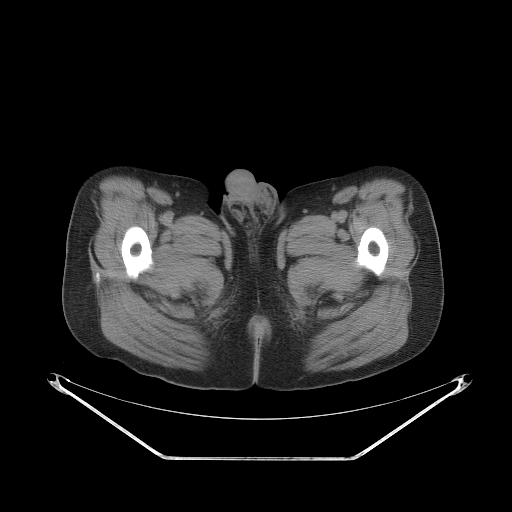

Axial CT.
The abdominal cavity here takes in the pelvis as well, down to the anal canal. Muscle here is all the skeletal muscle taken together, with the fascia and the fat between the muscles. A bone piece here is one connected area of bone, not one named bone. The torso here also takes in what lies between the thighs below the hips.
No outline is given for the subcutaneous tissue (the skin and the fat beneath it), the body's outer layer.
Outlined structures:
torso 1: [[235,168],[248,169],[252,172],[255,177],[255,179],[257,181],[263,181],[271,184],[276,189],[278,196],[281,198],[275,208],[257,253],[254,265],[253,261],[241,248],[241,246],[227,226],[219,209],[222,196],[224,193],[223,180],[225,176],[231,170]]
torso 2: [[256,309],[257,309],[266,318],[266,319],[268,321],[269,323],[269,326],[270,327],[270,332],[271,333],[271,336],[269,340],[263,348],[262,351],[258,355],[258,357],[257,359],[257,348],[246,326],[246,322],[254,314],[254,313],[256,311]]
abdominal cavity: [[259,321],[262,321],[263,322],[265,322],[265,329],[263,331],[263,333],[262,333],[258,337],[255,337],[253,335],[253,331],[254,330],[254,328],[255,327],[255,325]]
bones 1: [[135,225],[141,227],[147,234],[148,239],[150,242],[151,250],[152,251],[151,256],[152,257],[153,263],[149,269],[140,273],[136,279],[132,279],[127,276],[125,266],[121,255],[120,248],[121,247],[122,238],[125,231],[129,227],[134,226]]
bones 2: [[370,226],[375,226],[376,227],[378,227],[383,232],[388,243],[388,255],[387,256],[387,260],[385,264],[384,270],[380,276],[375,275],[371,271],[364,267],[358,266],[356,264],[356,262],[355,261],[357,256],[357,246],[360,241],[361,235],[364,230]]
muscle 1: [[109,174],[135,175],[156,183],[183,208],[199,211],[213,219],[232,240],[236,252],[237,290],[218,327],[206,335],[210,342],[211,362],[202,371],[166,367],[142,359],[107,340],[98,328],[87,243],[99,222],[90,200],[90,194],[95,183],[101,177]]; inner edge: [[135,225],[141,227],[147,234],[148,239],[150,242],[151,250],[152,251],[151,256],[152,257],[153,263],[149,269],[140,273],[136,279],[132,279],[127,276],[125,266],[121,255],[120,248],[121,247],[122,238],[125,231],[129,227],[134,226]]
muscle 2: [[377,174],[389,174],[407,181],[415,197],[409,222],[420,239],[420,251],[409,276],[412,306],[408,315],[407,341],[386,357],[352,369],[306,373],[301,360],[310,335],[298,333],[291,325],[289,299],[275,258],[277,234],[299,214],[328,199],[339,188]]; inner edge: [[370,226],[375,226],[376,227],[378,227],[383,232],[388,243],[388,255],[387,256],[387,260],[385,264],[384,270],[380,276],[375,275],[371,271],[364,267],[358,266],[356,264],[356,262],[355,261],[357,256],[357,246],[360,241],[361,235],[364,230]]
muscle 3: [[256,315],[264,315],[269,321],[269,323],[271,326],[271,335],[270,336],[271,337],[271,338],[269,340],[263,340],[262,341],[256,341],[255,342],[255,343],[255,342],[250,337],[250,336],[249,335],[249,332],[248,331],[248,323],[249,322],[250,319]]; inner edge: [[259,321],[262,321],[263,322],[265,322],[265,329],[263,331],[263,333],[262,333],[258,337],[255,337],[253,335],[253,331],[254,330],[254,328],[255,327],[255,325]]
left leg: [[371,164],[391,164],[409,171],[421,182],[428,194],[439,236],[444,278],[443,310],[433,340],[423,352],[411,360],[361,380],[292,391],[276,391],[253,385],[257,360],[272,336],[269,321],[257,308],[259,300],[254,266],[278,204],[285,194],[296,186]]
right leg: [[120,163],[188,176],[205,183],[211,191],[211,206],[219,210],[240,248],[252,261],[258,303],[245,322],[256,348],[257,363],[250,388],[197,390],[170,384],[139,374],[116,360],[92,354],[71,334],[63,315],[61,286],[73,202],[78,188],[89,174]]